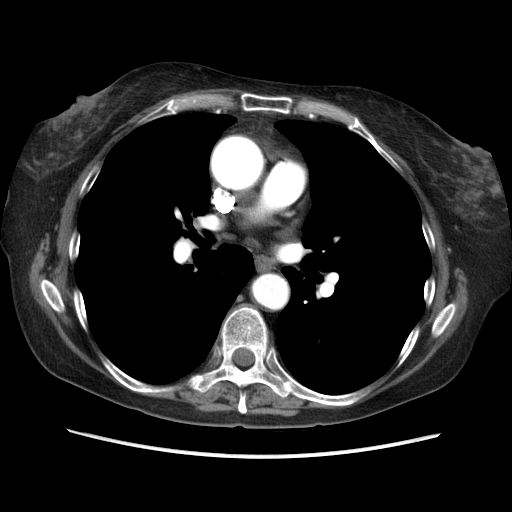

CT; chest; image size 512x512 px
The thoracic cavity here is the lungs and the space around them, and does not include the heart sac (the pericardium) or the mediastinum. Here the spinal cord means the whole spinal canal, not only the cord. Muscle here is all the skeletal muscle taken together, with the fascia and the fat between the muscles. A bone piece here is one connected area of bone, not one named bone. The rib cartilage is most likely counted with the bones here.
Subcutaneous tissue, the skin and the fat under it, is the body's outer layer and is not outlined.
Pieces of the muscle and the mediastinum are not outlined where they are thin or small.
The mediastinum appears in 2 outlined pieces: piece 1: [[210,205],[214,230],[245,245],[260,247],[278,260],[289,261],[302,246],[297,267],[281,268],[290,296],[277,317],[274,333],[269,331],[260,312],[251,306],[240,306],[227,314],[254,274],[254,261],[252,254],[241,245],[226,242],[218,245],[209,228]]; piece 2: [[216,106],[228,109],[239,108],[245,112],[262,111],[302,116],[316,114],[337,124],[300,119],[282,119],[274,123],[274,127],[300,150],[306,165],[295,147],[262,131],[234,129],[220,137],[222,132],[237,120],[234,116],[207,111],[183,111],[213,109]]. The thoracic cavity appears in 2 outlined pieces: piece 1: [[180,112],[229,115],[236,120],[221,132],[209,155],[208,228],[218,246],[226,243],[245,248],[252,256],[254,271],[228,309],[219,341],[206,364],[173,382],[151,384],[114,364],[90,331],[75,275],[80,247],[77,219],[82,200],[110,150],[137,127]]; piece 2: [[282,120],[343,124],[401,175],[421,212],[431,260],[423,286],[423,311],[393,364],[351,392],[326,394],[305,386],[285,369],[270,344],[269,332],[275,333],[278,317],[291,296],[282,268],[299,265],[302,228],[312,207],[307,163],[301,150],[275,127]]. The spinal cord is outlined by [[239,348],[245,348],[249,350],[253,354],[254,359],[251,365],[247,367],[241,367],[237,365],[234,362],[233,360],[233,358],[232,357],[233,356],[233,354],[234,352],[237,349]]. The bones appear in 11 outlined pieces: piece 1: [[240,307],[259,312],[280,364],[305,387],[326,395],[365,387],[369,391],[352,404],[330,405],[292,394],[281,397],[268,385],[255,382],[242,388],[247,411],[240,413],[240,389],[233,382],[220,380],[203,392],[189,387],[185,381],[208,367],[224,319]]; inner edge: [[239,348],[245,348],[249,350],[253,354],[254,359],[251,365],[247,367],[241,367],[237,365],[234,362],[233,360],[233,358],[232,357],[233,356],[233,354],[234,352],[237,349]]; piece 2: [[243,92],[320,102],[357,117],[376,142],[400,166],[402,174],[365,138],[348,129],[343,123],[316,113],[302,115],[262,110],[245,111],[239,107],[216,105],[213,108],[183,110],[138,125],[137,122],[142,117],[170,99],[198,94],[237,96]]; piece 3: [[102,356],[105,356],[120,370],[130,377],[136,380],[138,380],[141,382],[143,382],[147,384],[150,384],[151,385],[176,385],[179,387],[175,390],[165,391],[164,392],[137,392],[136,391],[133,391],[120,383],[106,369],[101,361],[101,357]]; piece 4: [[43,279],[47,279],[49,280],[53,284],[54,284],[54,285],[59,291],[61,298],[62,299],[62,301],[65,306],[65,310],[63,312],[58,312],[56,311],[49,304],[49,303],[45,298],[42,292],[42,290],[40,287],[40,282],[41,280]]; piece 5: [[449,303],[454,303],[456,305],[456,309],[455,310],[455,312],[452,318],[450,320],[449,323],[445,328],[445,329],[438,336],[436,337],[434,337],[432,336],[431,334],[431,327],[432,326],[432,324],[436,316],[438,314],[438,313],[445,306],[446,306]]; piece 6: [[76,287],[78,287],[80,290],[83,298],[83,302],[85,308],[85,313],[87,318],[87,326],[88,327],[88,330],[86,332],[80,324],[74,306],[74,302],[73,301],[73,290],[74,288]]; piece 7: [[416,324],[419,326],[419,334],[417,337],[417,339],[411,351],[409,353],[407,357],[404,360],[404,361],[401,364],[401,365],[397,368],[396,367],[396,364],[397,363],[398,356],[411,330],[416,325]]; piece 8: [[98,163],[101,164],[101,167],[99,170],[99,172],[94,182],[92,184],[90,189],[83,196],[83,197],[80,197],[79,196],[79,192],[80,191],[80,188],[82,185],[82,183],[84,181],[86,176],[93,167],[93,166],[95,164],[97,164]]; piece 9: [[74,230],[77,230],[77,231],[79,233],[79,247],[78,248],[78,255],[77,256],[77,257],[76,258],[76,259],[74,261],[71,261],[70,260],[70,258],[69,257],[69,241],[70,240],[70,237],[71,236],[71,234],[72,233],[72,232]]; piece 10: [[430,276],[432,276],[434,278],[434,279],[435,280],[435,290],[434,291],[434,294],[433,295],[433,298],[432,299],[432,301],[431,302],[431,304],[428,307],[427,307],[425,305],[425,301],[424,300],[424,286],[425,285],[425,282],[426,281],[426,280]]; piece 11: [[422,219],[424,219],[428,223],[432,231],[432,233],[433,234],[433,237],[434,238],[434,241],[435,242],[435,249],[433,251],[431,251],[429,249],[427,245],[427,243],[426,242],[426,240],[425,239],[425,237],[423,233],[423,230],[422,229]]. The torso is outlined by [[166,60],[196,62],[260,79],[371,88],[411,105],[451,135],[490,153],[509,221],[509,287],[492,306],[469,358],[449,383],[357,421],[245,429],[152,417],[68,383],[38,362],[16,318],[7,258],[0,247],[17,162],[40,120],[135,67]]. The muscle appears in 5 outlined pieces: piece 1: [[211,88],[247,91],[237,95],[198,93],[170,98],[142,116],[136,122],[138,126],[109,150],[102,163],[92,166],[79,188],[78,196],[82,199],[77,229],[71,232],[68,241],[68,257],[75,261],[77,285],[72,290],[73,306],[82,329],[86,333],[89,329],[104,355],[100,357],[102,365],[122,386],[86,363],[63,341],[31,294],[28,272],[45,233],[52,240],[55,238],[71,186],[113,131],[143,109],[171,95]] with a hole at [[43,279],[47,279],[49,280],[53,284],[54,284],[54,285],[59,291],[61,298],[62,299],[62,301],[65,306],[65,310],[63,312],[58,312],[56,311],[49,304],[49,303],[45,298],[42,292],[42,290],[40,287],[40,282],[41,280]]; piece 2: [[373,134],[411,168],[414,179],[433,208],[443,241],[450,248],[448,254],[450,272],[459,267],[467,278],[468,305],[454,332],[419,369],[374,396],[353,404],[370,391],[366,386],[382,376],[396,361],[395,367],[399,368],[408,357],[420,334],[420,326],[417,323],[425,306],[428,308],[432,304],[436,290],[436,280],[431,275],[430,251],[436,249],[433,231],[429,223],[422,218],[418,200],[402,176],[401,166],[377,142]], around a hole outlined by [[449,303],[454,303],[456,305],[456,309],[455,310],[455,312],[452,318],[450,320],[449,323],[445,328],[445,329],[438,336],[436,337],[434,337],[432,336],[431,334],[431,327],[432,326],[432,324],[436,316],[438,314],[438,313],[445,306],[446,306]]; piece 3: [[187,376],[189,376],[184,381],[186,385],[189,388],[201,393],[206,392],[220,381],[229,381],[233,383],[239,389],[236,406],[237,411],[202,411],[196,409],[188,403],[165,398],[146,396],[137,393],[164,393],[175,391],[180,387],[176,384],[168,384]]; piece 4: [[255,383],[264,384],[268,386],[275,394],[281,398],[285,398],[289,395],[292,395],[303,400],[324,405],[349,406],[335,409],[326,408],[302,409],[298,413],[290,416],[278,414],[247,414],[246,413],[248,411],[248,408],[246,404],[246,392],[243,388]]; piece 5: [[292,94],[303,94],[304,95],[308,95],[309,96],[312,96],[313,97],[315,97],[319,99],[322,99],[323,100],[328,101],[338,106],[343,107],[348,111],[355,114],[357,116],[355,115],[353,115],[349,113],[347,111],[335,105],[333,105],[332,104],[329,104],[328,103],[325,103],[324,102],[321,102],[320,101],[316,101],[315,100],[310,100],[309,99],[296,99],[289,95],[278,95],[291,95]]. The pericardium is outlined by [[234,130],[262,132],[287,143],[298,151],[306,166],[308,175],[308,201],[299,229],[298,236],[301,245],[289,260],[278,259],[260,246],[255,244],[245,244],[212,227],[211,203],[213,186],[209,170],[210,155],[216,142],[224,135]].